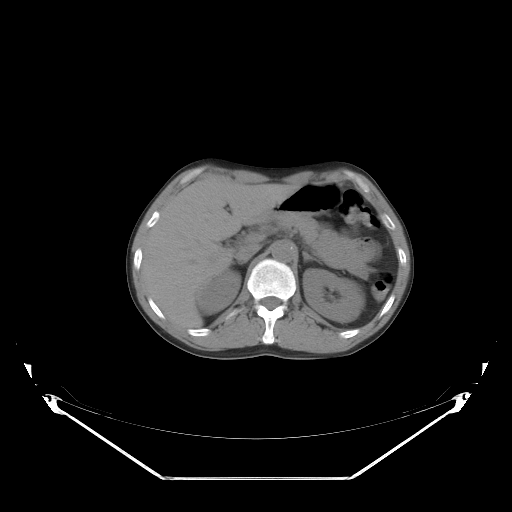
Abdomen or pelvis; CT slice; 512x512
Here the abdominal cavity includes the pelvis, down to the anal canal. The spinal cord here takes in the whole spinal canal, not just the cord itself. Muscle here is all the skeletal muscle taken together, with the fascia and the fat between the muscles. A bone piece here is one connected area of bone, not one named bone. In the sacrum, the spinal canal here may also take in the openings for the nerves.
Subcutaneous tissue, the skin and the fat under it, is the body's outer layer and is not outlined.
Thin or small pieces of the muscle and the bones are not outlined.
The muscle appears in 2 outlined pieces: piece 1: [[205,163],[258,172],[272,178],[280,178],[305,170],[340,167],[347,168],[365,176],[398,219],[409,250],[410,269],[406,287],[388,320],[376,332],[344,351],[314,353],[287,349],[274,343],[275,323],[285,314],[288,301],[296,290],[300,304],[327,326],[342,330],[338,335],[344,339],[355,336],[360,331],[360,327],[367,324],[378,313],[378,316],[382,317],[394,302],[395,295],[392,293],[399,276],[400,265],[405,266],[407,263],[404,250],[399,246],[396,249],[389,231],[394,230],[396,225],[387,213],[380,215],[366,194],[370,193],[370,187],[358,175],[351,170],[345,170],[344,172],[352,180],[304,181],[299,184],[281,180],[241,182],[229,175],[214,171],[197,175],[204,169],[203,166],[198,166]]; piece 2: [[195,167],[197,167],[185,174],[179,180],[180,184],[184,184],[171,194],[161,211],[154,210],[146,221],[145,226],[149,229],[145,236],[142,248],[137,247],[134,251],[132,258],[133,267],[140,273],[143,285],[149,295],[147,297],[147,302],[154,313],[162,320],[167,318],[174,324],[187,328],[186,331],[194,337],[207,336],[211,332],[208,327],[228,311],[233,309],[225,316],[226,320],[236,315],[241,310],[236,307],[245,293],[246,288],[253,299],[253,307],[256,314],[264,321],[264,331],[261,336],[262,343],[260,344],[227,348],[217,351],[207,351],[194,348],[172,336],[153,321],[143,309],[137,298],[131,271],[131,249],[137,230],[145,214],[167,185],[180,173]]. The torso is outlined by [[207,156],[261,166],[293,166],[334,159],[351,162],[367,171],[401,215],[414,251],[412,287],[388,329],[350,355],[316,360],[269,355],[235,360],[205,358],[188,353],[159,336],[138,312],[128,291],[125,272],[128,239],[141,211],[168,177],[183,165]]. The spinal cord is outlined by [[270,296],[272,296],[273,297],[276,297],[277,298],[278,298],[281,301],[281,302],[280,303],[280,304],[279,305],[278,305],[277,306],[276,306],[273,309],[268,309],[264,305],[263,305],[261,303],[261,300],[263,298],[265,298],[266,297],[269,297]]. The abdominal cavity is outlined by [[212,172],[241,183],[281,181],[299,185],[350,180],[357,184],[388,230],[399,265],[394,288],[380,310],[359,327],[333,328],[301,304],[291,267],[265,257],[251,268],[237,306],[207,327],[188,328],[166,317],[142,280],[144,242],[172,194],[197,176]]. The bones appear in 11 outlined pieces: piece 1: [[265,258],[272,258],[288,265],[293,272],[296,284],[294,293],[287,301],[287,308],[284,314],[274,323],[274,342],[271,344],[265,344],[262,341],[262,336],[265,331],[265,321],[257,314],[254,307],[254,299],[247,288],[247,281],[252,268],[260,260]] with a hole at [[270,296],[272,296],[273,297],[276,297],[277,298],[278,298],[281,301],[281,302],[280,303],[280,304],[279,305],[278,305],[277,306],[276,306],[273,309],[268,309],[264,305],[263,305],[261,303],[261,300],[263,298],[265,298],[266,297],[269,297]]; piece 2: [[345,171],[351,171],[357,176],[358,176],[369,187],[369,189],[370,190],[369,193],[365,193],[365,192],[360,188],[360,187],[358,185],[358,184],[357,183],[356,183],[356,182],[354,180],[353,180],[351,178],[350,178],[349,177],[349,176],[345,172]]; piece 3: [[189,328],[192,328],[193,329],[196,329],[197,328],[208,328],[210,330],[210,332],[207,335],[205,335],[204,336],[194,336],[193,335],[191,335],[187,331],[187,329],[188,329]]; piece 4: [[198,167],[203,167],[203,169],[198,174],[197,174],[193,178],[192,178],[189,181],[188,181],[187,182],[186,182],[185,183],[180,183],[180,180],[185,175],[186,175],[188,173],[189,173],[192,170],[193,170],[194,169],[195,169],[196,168],[197,168]]; piece 5: [[137,248],[141,248],[141,250],[142,251],[142,257],[141,258],[141,263],[140,264],[140,267],[139,268],[139,270],[137,270],[134,267],[134,264],[133,263],[133,258],[134,257],[134,254],[135,253],[135,251],[136,250],[136,249]]; piece 6: [[391,294],[393,294],[394,295],[394,299],[393,300],[393,302],[392,303],[392,304],[391,305],[390,308],[382,316],[381,316],[380,317],[379,316],[379,313],[380,312],[380,311],[381,310],[382,307],[384,305],[385,302],[387,300],[388,297]]; piece 7: [[384,213],[385,213],[386,214],[387,214],[390,217],[390,218],[392,220],[392,221],[394,223],[394,224],[395,225],[395,228],[394,229],[388,229],[385,226],[385,225],[382,222],[382,220],[381,219],[381,215],[382,214],[383,214]]; piece 8: [[149,296],[150,297],[151,297],[151,298],[153,300],[153,301],[157,305],[157,306],[159,308],[159,309],[165,316],[165,319],[162,319],[160,317],[159,317],[155,313],[155,312],[152,309],[152,308],[150,306],[150,305],[148,302],[148,297]]; piece 9: [[354,328],[359,328],[359,331],[355,335],[354,335],[353,336],[352,336],[351,337],[349,337],[348,338],[344,338],[343,337],[341,337],[339,335],[339,332],[340,332],[341,331],[344,331],[345,330],[348,330],[349,329],[353,329]]; piece 10: [[154,211],[158,211],[159,212],[159,218],[157,220],[157,221],[151,227],[147,227],[146,226],[146,223],[147,222],[147,221],[151,217],[151,216],[152,215],[152,214],[154,212]]; piece 11: [[235,308],[238,308],[239,309],[240,309],[240,310],[236,314],[235,314],[234,315],[233,315],[232,316],[231,316],[229,318],[228,318],[227,319],[226,319],[226,316],[230,312],[231,312]].